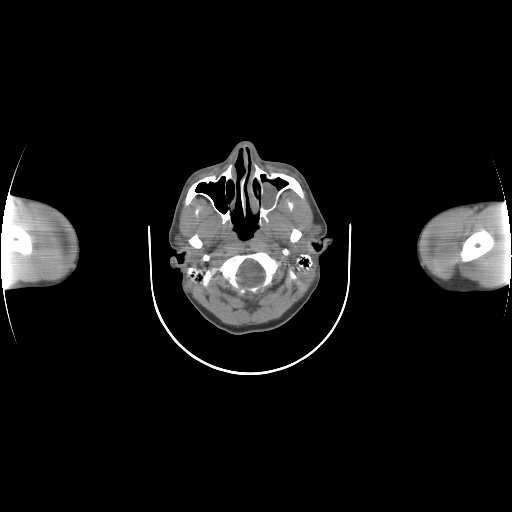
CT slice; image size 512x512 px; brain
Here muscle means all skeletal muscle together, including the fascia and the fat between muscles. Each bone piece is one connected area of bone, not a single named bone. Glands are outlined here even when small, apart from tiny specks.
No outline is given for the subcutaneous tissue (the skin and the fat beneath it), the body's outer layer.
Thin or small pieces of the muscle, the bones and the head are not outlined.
brain: (246, 260) (252, 260) (253, 261) (255, 261) (261, 267) (261, 268) (264, 272) (263, 279) (261, 282) (260, 282) (255, 285) (250, 285) (249, 286) (245, 286) (244, 285) (242, 285) (238, 281) (238, 278) (237, 277) (237, 273) (238, 272) (238, 270) (239, 269) (240, 266)
muscle 1: (255, 160) (264, 166) (287, 168) (301, 180) (314, 216) (314, 221) (307, 226) (309, 239) (306, 245) (315, 260) (315, 277) (304, 295) (279, 318) (261, 324) (234, 326) (220, 321) (192, 296) (186, 287) (185, 274) (192, 282) (198, 279) (207, 287) (220, 273) (239, 295) (256, 294) (272, 285) (282, 261) (263, 250) (257, 250) (233, 254) (219, 265) (189, 265) (186, 268) (190, 254) (185, 247) (187, 241) (178, 228) (179, 214) (182, 200) (191, 180) (199, 173) (221, 168) (228, 163) (219, 173) (194, 181) (193, 182) (188, 187) (184, 197) (183, 203) (186, 207) (196, 196) (205, 197) (221, 223) (228, 222) (242, 240) (250, 238) (258, 226) (269, 221) (268, 214) (276, 207) (285, 190) (293, 191) (304, 200) (305, 193) (295, 177) (281, 171) (268, 171), around holes outlined by (301, 253) (309, 254) (312, 257) (313, 265) (311, 269) (307, 271) (306, 273) (304, 273) (301, 271) (298, 271) (296, 273) (297, 278) (295, 280) (292, 280) (287, 283) (286, 282) (286, 279) (288, 276) (287, 273) (288, 268) (290, 266) (294, 266) (295, 265) (295, 259) and by (196, 233) (198, 235) (198, 236) (199, 237) (199, 238) (202, 241) (202, 246) (200, 248) (195, 248) (194, 247) (193, 247) (190, 244) (189, 244) (188, 243) (188, 239) (190, 237) (191, 237) (194, 234) (195, 234) and by (293, 228) (296, 228) (297, 229) (298, 229) (302, 233) (302, 235) (301, 236) (301, 237) (296, 242) (291, 242) (290, 241) (290, 240) (289, 239) (289, 237) (290, 236) (290, 234) (291, 233) (291, 232) (292, 231) (292, 229) and by (206, 253) (207, 254) (208, 254) (209, 254) (210, 255) (210, 256) (210, 257) (210, 258) (210, 259) (209, 260) (208, 261) (207, 261) (206, 261) (205, 261) (204, 261) (203, 261) (202, 260) (202, 259) (202, 258) (202, 257) (203, 256) (203, 255) (204, 254) (205, 254) and by (287, 200) (289, 200) (290, 201) (291, 201) (292, 202) (292, 203) (293, 204) (293, 208) (292, 209) (292, 210) (289, 210) (289, 209) (288, 208) (288, 206) (287, 205) and by (283, 248) (284, 248) (285, 248) (286, 248) (287, 248) (288, 249) (289, 250) (289, 251) (289, 252) (289, 253) (289, 254) (288, 255) (287, 256) (286, 256) (285, 256) (284, 255) (283, 254) (282, 253) (282, 252) (282, 251) (282, 250) (282, 249)
muscle 2: (498, 201) (505, 202) (508, 223) (511, 232) (511, 271) (510, 277) (508, 278) (507, 283) (504, 285) (492, 287) (449, 284) (446, 283) (443, 279) (432, 274) (425, 266) (420, 252) (421, 238) (429, 224) (438, 216) (450, 210) (465, 206) (471, 207) (479, 204) (496, 203), around a hole outlined by (481, 228) (484, 228) (488, 230) (488, 232) (495, 239) (495, 242) (496, 243) (490, 250) (489, 250) (484, 254) (481, 255) (479, 257) (473, 260) (468, 261) (467, 262) (463, 262) (461, 261) (461, 258) (460, 257) (459, 253) (461, 250) (463, 242) (473, 232) (477, 231)
muscle 3: (10, 197) (29, 200) (54, 209) (63, 216) (65, 221) (73, 231) (72, 233) (76, 245) (76, 255) (74, 263) (71, 269) (61, 278) (53, 281) (42, 280) (35, 282) (24, 282) (16, 285) (5, 284) (1, 282) (2, 279) (0, 277) (0, 230) (5, 205) (8, 198); inner edge: (5, 224) (14, 224) (17, 227) (26, 232) (31, 242) (31, 247) (32, 248) (32, 252) (31, 253) (27, 254) (26, 253) (24, 253) (20, 251) (17, 251) (14, 249) (12, 249) (11, 248) (7, 247) (4, 244) (4, 242) (3, 241) (3, 229) (4, 228)
head: (244, 139) (253, 142) (263, 159) (289, 163) (302, 173) (327, 224) (326, 235) (333, 238) (333, 243) (319, 257) (321, 273) (317, 287) (294, 316) (271, 330) (236, 335) (205, 319) (186, 297) (180, 270) (169, 265) (175, 251) (167, 236) (188, 176) (199, 168) (222, 161), around holes outlined by (240, 150) (242, 150) (242, 163) (244, 168) (244, 172) (238, 181) (242, 215) (244, 217) (247, 213) (247, 200) (251, 213) (257, 214) (258, 217) (257, 228) (252, 235) (246, 239) (240, 238) (234, 230) (231, 217) (232, 212) (236, 207) (236, 186) (238, 181) (236, 161) and by (222, 178) (223, 178) (225, 184) (229, 181) (232, 182) (232, 191) (233, 192) (231, 198) (229, 201) (227, 202) (227, 208) (225, 211) (221, 211) (217, 207) (214, 200) (209, 194) (204, 191) (198, 189) (202, 184) (204, 184) (207, 186) (210, 184) (215, 184) and by (262, 176) (263, 176) (265, 178) (265, 180) (266, 181) (275, 181) (276, 180) (279, 180) (281, 182) (283, 182) (283, 185) (282, 185) (281, 187) (277, 189) (275, 194) (273, 196) (273, 201) (268, 207) (265, 207) (264, 206) (264, 194) (263, 193) (263, 180) (262, 179) and by (181, 253) (182, 253) (183, 253) (184, 254) (183, 255) (183, 256) (183, 257) (183, 258) (183, 259) (183, 260) (182, 261) (181, 262) (180, 262) (179, 262) (178, 261) (178, 260) (178, 259) (177, 258) (177, 257) (177, 256) (177, 255) (178, 255) (179, 254) (180, 254)
bones 1: (243, 149) (262, 169) (268, 172) (285, 173) (295, 178) (302, 188) (304, 199) (293, 190) (289, 188) (285, 189) (280, 194) (275, 207) (267, 214) (268, 221) (263, 221) (260, 225) (258, 224) (258, 214) (252, 213) (247, 199) (244, 216) (239, 189) (239, 181) (245, 172), around a hole outlined by (262, 176) (263, 176) (265, 178) (265, 180) (266, 181) (275, 181) (276, 180) (279, 180) (281, 182) (283, 182) (283, 185) (282, 185) (281, 187) (277, 189) (275, 194) (273, 196) (273, 201) (268, 207) (265, 207) (264, 206) (264, 194) (263, 193) (263, 180) (262, 179)
bones 2: (257, 251) (263, 251) (276, 260) (281, 261) (281, 265) (273, 276) (271, 285) (256, 293) (246, 292) (239, 294) (223, 278) (220, 272) (217, 272) (212, 277) (207, 286) (204, 286) (198, 278) (192, 281) (186, 275) (186, 269) (189, 266) (198, 268) (219, 266) (233, 255) with a hole at (246, 260) (252, 260) (253, 261) (255, 261) (261, 267) (261, 268) (264, 272) (263, 279) (261, 282) (260, 282) (255, 285) (250, 285) (249, 286) (245, 286) (244, 285) (242, 285) (238, 281) (238, 278) (237, 277) (237, 273) (238, 272) (238, 270) (239, 269) (240, 266)
bones 3: (236, 154) (236, 197) (235, 207) (230, 215) (232, 225) (228, 221) (222, 223) (222, 219) (219, 214) (213, 208) (209, 200) (203, 195) (196, 195) (186, 206) (184, 201) (189, 187) (194, 182) (205, 176) (217, 175) (225, 170) with a hole at (222, 178) (223, 178) (225, 184) (229, 181) (232, 182) (232, 191) (233, 192) (231, 198) (229, 201) (227, 202) (227, 208) (225, 211) (221, 211) (217, 207) (214, 200) (209, 194) (204, 191) (198, 189) (202, 184) (204, 184) (207, 186) (210, 184) (215, 184)
bones 4: (481, 228) (484, 228) (488, 230) (488, 232) (495, 239) (495, 242) (496, 243) (490, 250) (489, 250) (484, 254) (481, 255) (479, 257) (473, 260) (468, 261) (467, 262) (463, 262) (461, 261) (461, 258) (460, 257) (459, 253) (461, 250) (463, 242) (473, 232) (477, 231)
bones 5: (5, 224) (14, 224) (17, 227) (26, 232) (31, 242) (31, 247) (32, 248) (32, 252) (31, 253) (27, 254) (26, 253) (24, 253) (20, 251) (17, 251) (14, 249) (12, 249) (11, 248) (7, 247) (4, 244) (4, 242) (3, 241) (3, 229) (4, 228)
bones 6: (301, 253) (309, 254) (312, 257) (313, 265) (311, 269) (307, 271) (306, 273) (304, 273) (301, 271) (298, 271) (296, 273) (297, 278) (295, 280) (292, 280) (287, 283) (286, 282) (286, 279) (288, 276) (287, 273) (288, 268) (290, 266) (294, 266) (295, 265) (295, 259)
bones 7: (196, 233) (198, 235) (198, 236) (199, 237) (199, 238) (202, 241) (202, 246) (200, 248) (195, 248) (194, 247) (193, 247) (190, 244) (189, 244) (188, 243) (188, 239) (190, 237) (191, 237) (194, 234) (195, 234)
bones 8: (293, 228) (296, 228) (297, 229) (298, 229) (302, 233) (302, 235) (301, 236) (301, 237) (296, 242) (291, 242) (290, 241) (290, 240) (289, 239) (289, 237) (290, 236) (290, 234) (291, 233) (291, 232) (292, 231) (292, 229)
right arm: (12, 196) (18, 198) (32, 198) (50, 204) (61, 211) (74, 226) (79, 240) (79, 261) (77, 268) (72, 275) (62, 283) (51, 287) (26, 287) (14, 289) (11, 288) (9, 284) (1, 282) (2, 279) (0, 277) (0, 230) (6, 202) (8, 198) (11, 198)
parotid glands 1: (310, 222) (314, 222) (317, 224) (319, 224) (319, 225) (321, 228) (321, 229) (320, 230) (320, 231) (319, 232) (319, 233) (318, 234) (318, 235) (316, 235) (314, 237) (309, 237) (309, 236) (308, 235) (308, 226) (309, 225) (309, 224) (310, 223)
parotid glands 2: (177, 231) (178, 231) (184, 237) (184, 239) (186, 241) (186, 245) (185, 246) (177, 246) (176, 245) (174, 245) (172, 243) (172, 240) (173, 239) (173, 238) (175, 236) (175, 235) (176, 234) (176, 232)
left arm: (489, 199) (495, 199) (500, 202) (505, 202) (508, 223) (511, 232) (510, 277) (508, 278) (508, 281) (504, 286) (493, 291) (476, 291) (469, 293) (448, 292) (433, 283) (421, 269) (416, 256) (416, 241) (418, 234) (423, 225) (433, 215) (446, 208) (467, 202)